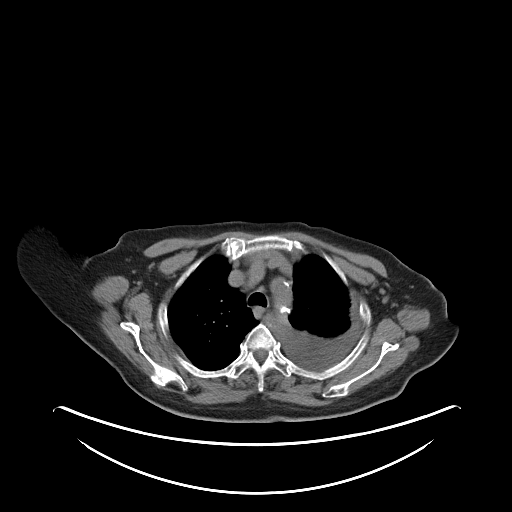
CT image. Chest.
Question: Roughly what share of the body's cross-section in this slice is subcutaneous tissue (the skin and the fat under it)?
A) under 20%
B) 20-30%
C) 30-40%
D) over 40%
Answer: C) 30-40%
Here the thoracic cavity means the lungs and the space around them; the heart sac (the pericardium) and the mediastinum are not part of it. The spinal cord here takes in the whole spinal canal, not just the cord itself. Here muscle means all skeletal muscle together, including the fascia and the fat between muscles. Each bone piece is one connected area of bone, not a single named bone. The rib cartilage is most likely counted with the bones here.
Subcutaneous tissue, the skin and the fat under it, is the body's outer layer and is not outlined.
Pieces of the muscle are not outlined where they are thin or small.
The thoracic cavity appears in 2 outlined pieces: piece 1: 216 253; 219 253; 227 259; 230 265; 227 283; 243 294; 246 306; 250 309; 253 317; 258 322; 251 328; 239 344; 239 352; 233 360; 218 369; 202 369; 192 363; 174 341; 170 333; 168 305; 174 293; 188 277; 204 260; piece 2: 308 253; 313 253; 322 257; 351 292; 353 298; 358 304; 357 309; 358 315; 363 324; 361 335; 349 353; 338 362; 322 370; 311 370; 296 364; 282 352; 280 342; 281 328; 286 323; 293 308; 294 267; 302 259; 303 255. The torso is outlined by 32 220; 51 221; 64 246; 89 255; 112 247; 124 232; 138 228; 231 220; 295 220; 324 226; 379 245; 427 277; 444 294; 448 316; 459 322; 459 333; 398 396; 352 414; 273 422; 183 417; 135 393; 22 279; 15 247. The muscle is outlined by 236 230; 301 231; 378 259; 388 276; 378 277; 367 295; 369 304; 363 298; 358 303; 345 273; 326 252; 308 252; 299 240; 276 232; 227 236; 219 252; 201 254; 179 275; 168 304; 162 300; 156 309; 163 335; 170 334; 186 358; 177 352; 174 358; 191 375; 236 379; 252 369; 259 393; 270 369; 286 378; 293 374; 325 380; 347 369; 365 349; 372 311; 377 322; 406 304; 430 313; 418 349; 391 373; 348 395; 351 384; 400 346; 385 340; 370 367; 321 394; 341 398; 322 406; 283 402; 261 393; 213 404; 167 395; 101 331; 91 313; 90 290; 105 276; 123 275; 157 299; 167 281; 144 249; 169 237; 209 237; inner edge: 122 321; 132 321; 139 326; 139 339; 144 351; 156 363; 177 372; 187 386; 186 391; 182 390; 179 384; 176 381; 171 381; 164 386; 157 385; 151 381; 149 377; 153 373; 154 369; 152 365; 139 351; 133 335; 120 326; 120 323. The spinal cord is outlined by 258 349; 264 349; 265 350; 266 350; 266 351; 267 352; 267 355; 266 356; 266 357; 265 358; 265 359; 262 362; 259 362; 255 358; 255 357; 254 356; 254 351; 255 350; 257 350. The mediastinum is outlined by 268 250; 283 250; 287 252; 297 251; 302 254; 301 259; 293 267; 292 308; 288 318; 280 328; 279 341; 265 323; 258 321; 254 317; 251 309; 246 304; 244 294; 228 283; 228 276; 231 270; 231 265; 228 259; 231 261; 251 253. The bones appear in 7 outlined pieces: piece 1: 361 299; 371 311; 368 341; 347 368; 325 379; 293 373; 286 377; 270 368; 259 392; 252 368; 236 378; 204 378; 188 372; 174 356; 202 370; 221 369; 238 356; 246 335; 262 322; 288 359; 322 371; 349 354; 365 330; 358 309, around a hole outlined by 258 349; 264 349; 265 350; 266 350; 266 351; 267 352; 267 355; 266 356; 266 357; 265 358; 265 359; 262 362; 259 362; 255 358; 255 357; 254 356; 254 351; 255 350; 257 350; piece 2: 272 233; 279 234; 291 240; 299 241; 303 244; 307 251; 307 253; 305 254; 303 254; 297 250; 287 251; 283 249; 268 249; 267 250; 260 250; 251 252; 230 260; 220 253; 220 245; 227 237; 234 236; 249 239; 257 235; 271 234; piece 3: 122 321; 132 321; 139 326; 139 339; 144 351; 156 363; 177 372; 187 386; 186 391; 182 390; 179 384; 176 381; 171 381; 164 386; 157 385; 151 381; 149 377; 153 373; 154 369; 152 365; 139 351; 133 335; 120 326; 120 323; piece 4: 385 341; 392 344; 398 343; 399 346; 394 350; 388 351; 382 357; 379 364; 373 370; 351 383; 348 387; 348 394; 347 395; 341 397; 324 397; 322 395; 330 386; 345 382; 359 375; 364 371; 370 368; 378 359; 381 352; 382 344; piece 5: 162 301; 165 302; 167 304; 167 320; 168 321; 168 326; 169 327; 169 333; 167 337; 166 337; 164 335; 161 329; 161 327; 158 321; 158 319; 157 318; 157 309; 158 308; 158 306; 160 302; piece 6: 204 254; 206 254; 206 258; 205 259; 204 259; 199 264; 199 265; 187 277; 187 278; 183 282; 183 283; 174 292; 174 285; 175 284; 176 281; 179 278; 180 275; 197 258; 198 258; 201 255; 203 255; piece 7: 323 252; 326 253; 334 261; 335 261; 339 266; 339 267; 342 270; 347 279; 347 282; 348 283; 347 284; 347 286; 345 285; 345 284; 342 281; 340 277; 336 273; 336 272; 332 268; 332 267; 327 262; 327 261; 322 256; 322 253.